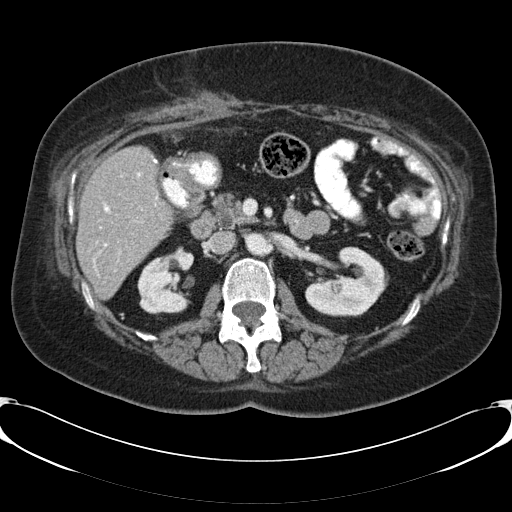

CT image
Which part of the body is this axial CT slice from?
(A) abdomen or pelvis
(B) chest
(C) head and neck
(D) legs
(A) abdomen or pelvis
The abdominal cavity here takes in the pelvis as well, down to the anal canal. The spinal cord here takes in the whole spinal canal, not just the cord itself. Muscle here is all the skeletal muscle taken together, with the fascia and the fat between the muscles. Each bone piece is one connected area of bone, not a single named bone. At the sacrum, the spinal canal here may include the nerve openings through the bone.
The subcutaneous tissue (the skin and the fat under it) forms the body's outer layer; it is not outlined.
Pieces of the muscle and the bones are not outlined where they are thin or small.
Outlines:
muscle: (199, 98) (232, 100) (233, 101) (259, 101) (277, 104) (319, 103) (320, 104) (338, 105) (344, 107) (349, 107) (353, 109) (359, 109) (370, 115) (401, 124) (440, 149) (440, 151) (445, 157) (460, 182) (466, 203) (462, 241) (461, 242) (461, 253) (457, 268) (457, 275) (454, 279) (453, 283) (431, 307) (418, 325) (412, 331) (397, 341) (389, 344) (379, 350) (333, 368) (317, 378) (301, 383) (275, 384) (263, 380) (254, 375) (247, 375) (240, 380) (230, 383) (210, 384) (195, 379) (155, 359) (121, 346) (114, 340) (102, 333) (86, 317) (75, 297) (69, 283) (62, 276) (54, 256) (54, 222) (55, 221) (56, 192) (60, 178) (63, 172) (75, 155) (81, 149) (102, 135) (119, 128) (126, 122) (144, 113); inner edge: (278, 109) (391, 137) (433, 171) (444, 202) (441, 232) (448, 216) (450, 226) (440, 268) (419, 292) (416, 315) (400, 324) (409, 305) (381, 328) (339, 333) (309, 320) (278, 277) (274, 305) (281, 340) (258, 345) (260, 370) (252, 373) (245, 348) (218, 338) (219, 281) (207, 290) (198, 317) (163, 328) (153, 341) (140, 338) (97, 300) (97, 311) (91, 309) (74, 257) (74, 223) (68, 221) (72, 172) (77, 170) (74, 209) (94, 168) (137, 137)
bones 1: (245, 257) (264, 262) (274, 278) (276, 284) (274, 305) (280, 317) (281, 330) (281, 340) (279, 342) (268, 339) (258, 345) (256, 355) (260, 370) (252, 373) (246, 370) (247, 353) (245, 348) (237, 341) (229, 339) (222, 343) (218, 338) (223, 309) (222, 283) (232, 263); inner edge: (246, 301) (251, 301) (252, 302) (257, 302) (263, 305) (265, 309) (264, 310) (264, 312) (258, 318) (259, 323) (256, 323) (255, 325) (253, 326) (246, 326) (244, 324) (242, 324) (241, 323) (242, 320) (233, 312) (233, 307) (236, 304) (240, 302) (245, 302)
bones 2: (74, 170) (77, 170) (77, 175) (75, 179) (75, 183) (74, 184) (74, 192) (73, 193) (73, 208) (74, 209) (74, 219) (73, 220) (72, 224) (70, 224) (68, 221) (68, 212) (67, 211) (67, 198) (68, 197) (68, 193) (69, 192) (69, 184) (70, 183) (71, 174)
bones 3: (418, 293) (420, 293) (420, 308) (418, 312) (416, 314) (416, 315) (409, 322) (408, 322) (404, 325) (401, 325) (400, 324) (400, 320) (402, 318) (403, 318) (404, 316) (407, 313) (407, 312) (410, 308) (410, 306) (411, 305) (411, 303) (413, 299) (415, 297) (416, 294)
bones 4: (82, 279) (83, 279) (87, 283) (87, 284) (89, 287) (89, 290) (90, 291) (91, 296) (94, 301) (95, 306) (97, 308) (97, 311) (95, 311) (94, 310) (91, 309) (88, 306) (88, 305) (85, 301) (85, 299) (82, 294) (82, 289) (81, 288) (81, 281) (82, 280)
bones 5: (448, 216) (449, 216) (450, 217) (450, 226) (449, 227) (449, 229) (448, 230) (448, 233) (447, 234) (447, 243) (446, 244) (446, 245) (443, 247) (442, 246) (442, 244) (441, 243) (441, 237) (442, 236) (442, 233) (443, 232) (444, 225) (446, 222) (446, 219)
torso: (246, 41) (317, 42) (383, 57) (440, 87) (478, 128) (494, 176) (502, 307) (492, 340) (461, 371) (396, 401) (334, 416) (292, 417) (253, 407) (175, 414) (81, 385) (45, 366) (23, 343) (11, 311) (11, 277) (34, 156) (52, 119) (85, 87) (123, 66) (166, 53)
spinal cord: (246, 301) (251, 301) (252, 302) (257, 302) (263, 305) (265, 309) (264, 310) (264, 312) (258, 318) (259, 323) (256, 323) (255, 325) (253, 326) (246, 326) (244, 324) (242, 324) (241, 323) (242, 320) (233, 312) (233, 307) (236, 304) (240, 302) (245, 302)
abdominal cavity: (278, 109) (391, 137) (433, 171) (444, 209) (442, 260) (429, 285) (385, 326) (339, 333) (309, 320) (286, 282) (275, 280) (264, 261) (245, 256) (231, 263) (221, 285) (209, 287) (198, 317) (155, 334) (118, 320) (94, 299) (74, 257) (76, 201) (90, 173) (137, 137)